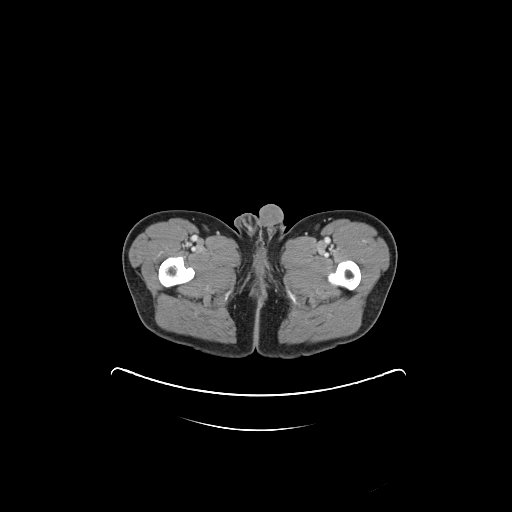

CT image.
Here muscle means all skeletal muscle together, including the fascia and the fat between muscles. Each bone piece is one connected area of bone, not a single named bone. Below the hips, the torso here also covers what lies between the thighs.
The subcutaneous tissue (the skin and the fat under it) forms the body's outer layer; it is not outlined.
The torso is outlined by 266 204; 275 204; 279 206; 283 213; 283 222; 285 225; 285 229; 282 240; 277 246; 268 262; 267 295; 262 308; 257 312; 253 288; 254 253; 247 241; 233 229; 234 227; 233 222; 234 219; 238 215; 244 212; 257 214; 259 209. The bones appear in 4 outlined pieces: piece 1: 170 256; 182 256; 184 258; 184 264; 187 267; 191 267; 193 268; 195 272; 193 278; 185 283; 178 284; 177 285; 175 285; 174 286; 171 286; 170 287; 166 287; 164 286; 159 281; 158 279; 158 268; 161 262; 167 257; 169 257; piece 2: 347 259; 350 259; 354 261; 358 265; 361 273; 361 279; 360 280; 360 282; 353 290; 349 290; 344 287; 334 285; 330 283; 327 279; 327 275; 330 272; 333 272; 335 270; 337 266; 337 264; 339 262; piece 3: 286 289; 288 289; 295 296; 295 297; 296 298; 296 303; 294 303; 291 300; 291 299; 289 297; 289 296; 288 295; 288 294; 287 293; 287 292; 286 291; piece 4: 229 290; 231 290; 231 292; 229 294; 229 295; 228 296; 228 297; 227 298; 227 299; 226 300; 224 300; 224 296; 225 295; 225 293; 227 291; 228 291. The left leg is outlined by 335 209; 357 209; 371 213; 381 219; 394 236; 397 246; 397 267; 379 317; 369 331; 359 339; 320 353; 293 359; 268 358; 259 355; 255 351; 258 313; 263 308; 268 295; 269 262; 283 240; 285 230; 288 230; 305 216; 316 212. The muscle appears in 2 outlined pieces: piece 1: 339 218; 356 219; 372 225; 382 235; 387 243; 390 254; 389 266; 368 295; 361 325; 355 332; 346 336; 314 343; 297 345; 280 343; 277 339; 277 331; 288 311; 288 305; 282 285; 280 263; 281 249; 288 239; 315 230; 332 220; inner edges: 347 259; 350 259; 354 261; 358 265; 361 273; 361 279; 360 280; 360 282; 353 290; 349 290; 344 287; 334 285; 330 283; 327 279; 327 275; 330 272; 333 272; 335 270; 337 266; 337 264; 339 262, then 286 289; 288 289; 295 296; 295 297; 296 298; 296 303; 294 303; 291 300; 291 299; 289 297; 289 296; 288 295; 288 294; 287 293; 287 292; 286 291; piece 2: 173 217; 184 218; 206 228; 224 233; 238 244; 241 263; 237 273; 236 286; 228 307; 230 316; 236 326; 237 341; 235 343; 209 341; 168 331; 160 327; 154 319; 151 295; 142 279; 131 266; 128 252; 132 242; 144 227; 159 220; inner edges: 170 256; 182 256; 184 258; 184 264; 187 267; 191 267; 193 268; 195 272; 193 278; 185 283; 178 284; 177 285; 175 285; 174 286; 171 286; 170 287; 166 287; 164 286; 159 281; 158 279; 158 268; 161 262; 167 257; 169 257, then 229 290; 231 290; 231 292; 229 294; 229 295; 228 296; 228 297; 227 298; 227 299; 226 300; 224 300; 224 296; 225 295; 225 293; 227 291; 228 291. The right leg is outlined by 167 209; 201 211; 219 218; 246 241; 253 253; 252 288; 254 304; 257 313; 257 325; 254 351; 249 356; 241 358; 226 358; 202 353; 189 347; 158 337; 148 330; 139 319; 123 275; 121 262; 123 243; 130 228; 138 220; 150 213.